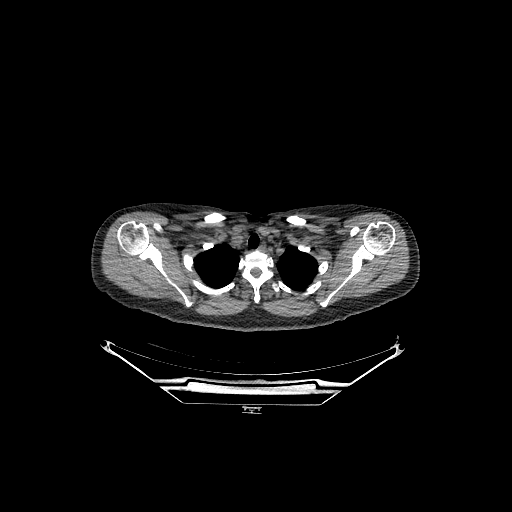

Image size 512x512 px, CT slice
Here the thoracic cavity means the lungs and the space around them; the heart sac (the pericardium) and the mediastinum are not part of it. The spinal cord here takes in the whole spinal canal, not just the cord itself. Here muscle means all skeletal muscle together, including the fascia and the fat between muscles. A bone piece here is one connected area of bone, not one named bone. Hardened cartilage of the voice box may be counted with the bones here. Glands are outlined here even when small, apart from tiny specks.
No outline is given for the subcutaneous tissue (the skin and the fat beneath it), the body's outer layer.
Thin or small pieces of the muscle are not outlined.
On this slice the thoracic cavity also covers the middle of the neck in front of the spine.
thoracic cavity: 239,224 267,226 283,233 292,245 311,255 317,261 317,272 312,281 303,290 293,289 279,277 275,259 267,252 255,248 245,251 239,257 237,272 232,280 220,287 207,285 194,268 195,256 220,243 232,228; inner edge: 261,227 262,227 263,228 264,228 265,228 266,229 267,230 268,231 268,232 268,233 267,234 266,235 265,235 264,235 263,235 262,235 262,234 261,233 260,232 260,231 259,230 258,229 259,228 260,228
spinal cord: 254,268 258,268 260,270 260,274 258,276 254,276 251,273 251,270 252,269 253,269
bones 1: 379,220 389,222 395,229 396,238 391,249 383,255 375,255 371,260 364,259 361,269 323,308 316,299 324,298 349,273 351,256 362,241 355,237 350,237 349,232 351,227 356,225 364,229 370,222
bones 2: 131,219 134,219 138,223 143,222 151,230 152,232 150,239 161,251 164,270 168,276 193,301 191,306 185,306 182,296 173,286 167,282 148,258 141,260 137,255 130,255 120,248 116,235 117,229 120,224
bones 3: 255,249 267,253 274,259 275,274 273,280 280,279 299,293 321,279 323,280 321,286 313,293 303,296 282,289 276,292 271,286 272,280 270,279 260,286 260,300 255,303 253,287 238,271 240,257 245,252; inner edge: 254,268 258,268 260,270 260,274 258,276 254,276 251,273 251,270 252,269 253,269
bones 4: 197,278 200,281 203,282 207,286 209,286 212,288 220,288 228,284 231,281 234,281 235,282 235,286 228,291 223,292 220,295 213,295 212,294 207,294 206,293 204,293 200,291 191,283 191,279 196,279
bones 5: 213,211 216,211 217,212 220,212 221,213 222,213 224,215 225,215 226,216 226,218 224,220 222,220 221,221 218,221 217,222 206,222 204,220 204,219 203,218 204,217 204,216 205,215 206,215
bones 6: 184,253 188,253 189,254 190,254 191,255 192,255 194,257 193,258 193,270 194,271 193,272 191,272 190,271 189,271 184,266 184,265 183,264 183,262 182,261 182,255
bones 7: 293,214 295,214 296,215 297,215 298,216 299,216 302,218 304,218 306,220 306,223 303,225 296,225 293,223 291,223 290,222 289,222 288,221 287,221 286,220 286,217 288,215 292,215
bones 8: 324,260 326,260 328,262 328,267 327,268 327,269 325,271 325,272 323,274 322,274 320,276 319,275 318,275 318,274 317,273 318,272 318,265 319,264 319,263 320,262 321,262 322,261 323,261
bones 9: 154,221 156,221 157,222 158,222 161,225 161,226 162,227 162,228 163,229 163,231 161,233 159,233 158,232 157,232 154,229 153,229 153,227 152,226 152,225 153,224 153,222
bones 10: 298,244 301,244 302,245 304,245 305,246 309,246 310,247 310,250 311,251 310,252 310,254 309,253 308,253 307,252 305,252 304,251 302,251 301,250 300,250 297,247 297,245
bones 11: 204,242 214,242 214,245 211,248 209,248 208,249 207,249 206,250 203,250 202,251 201,250 202,249 202,246 203,245 203,243
torso: 148,202 209,205 257,216 326,204 371,206 362,221 360,239 364,246 370,254 419,275 419,279 401,297 344,320 312,328 237,331 173,322 116,302 96,289 90,275 126,264 146,250 152,233 149,218 138,204
left arm: 372,206 382,207 394,211 401,215 408,222 414,233 414,235 416,238 419,247 419,254 420,255 420,273 419,274 404,269 391,263 386,262 369,252 361,239 361,234 362,233 362,227 363,226 364,218 368,210
thyroid glands: 261,227 262,227 263,228 264,228 265,228 266,229 267,230 268,231 268,232 268,233 267,234 266,235 265,235 264,235 263,235 262,235 262,234 261,233 260,232 260,231 259,230 258,229 259,228 260,228
muscle: 205,210 212,211 203,216 206,223 224,221 227,216 223,213 241,214 252,222 287,213 323,216 383,213 396,220 405,231 409,269 397,283 329,305 362,269 364,260 383,256 396,242 396,229 387,220 370,221 364,228 354,224 348,235 361,241 350,256 349,271 324,297 315,299 322,308 315,313 286,317 257,307 232,315 199,314 188,308 194,301 165,270 162,251 152,241 153,232 143,221 131,218 119,224 115,234 119,248 141,261 148,259 181,296 185,307 164,298 141,297 115,285 102,274 100,255 109,227 125,213 151,211 169,217 175,213, around holes outlined by 239,224 275,228 292,245 309,246 310,254 318,263 324,260 328,262 325,272 320,276 317,273 310,283 321,279 321,286 303,296 282,289 276,292 270,279 260,286 260,300 255,303 253,287 238,271 232,280 235,286 228,291 220,295 200,291 191,283 191,279 202,280 194,268 191,272 184,266 182,255 188,253 194,257 202,251 204,242 220,243 and by 293,214 295,214 296,215 297,215 298,216 299,216 302,218 304,218 306,220 306,223 303,225 296,225 293,223 291,223 290,222 289,222 288,221 287,221 286,220 286,217 288,215 292,215 and by 154,221 156,221 157,222 158,222 161,225 161,226 162,227 162,228 163,229 163,231 161,233 159,233 158,232 157,232 154,229 153,229 153,227 152,226 152,225 153,224 153,222
right arm: 137,204 148,218 148,222 151,233 150,239 147,242 147,245 145,250 132,260 121,265 118,265 111,268 107,268 103,270 90,271 91,247 92,246 92,242 94,238 94,235 99,226 114,211 123,207 136,205